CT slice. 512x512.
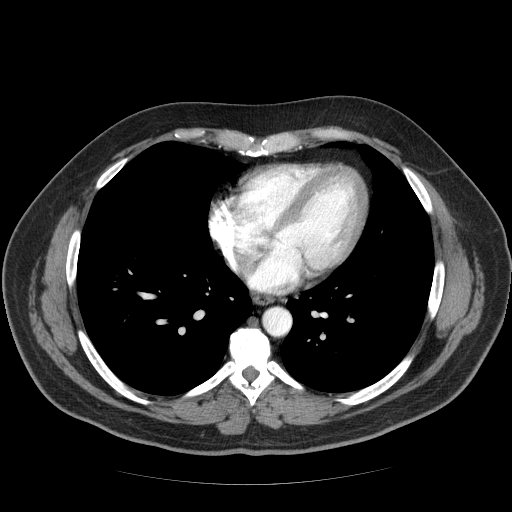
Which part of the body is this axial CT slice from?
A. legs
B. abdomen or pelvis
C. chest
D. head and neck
C. chest
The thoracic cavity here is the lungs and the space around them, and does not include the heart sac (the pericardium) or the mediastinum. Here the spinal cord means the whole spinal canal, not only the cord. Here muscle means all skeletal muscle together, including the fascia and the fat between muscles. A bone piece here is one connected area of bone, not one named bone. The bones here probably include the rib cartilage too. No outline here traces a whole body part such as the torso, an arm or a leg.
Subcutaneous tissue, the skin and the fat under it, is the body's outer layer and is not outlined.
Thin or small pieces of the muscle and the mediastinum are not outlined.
{"muscle":[[[324,125],[374,136],[399,150],[441,195],[467,233],[480,264],[485,288],[480,320],[442,367],[423,384],[373,409],[345,418],[277,429],[252,421],[243,433],[227,435],[208,425],[163,421],[106,403],[69,378],[38,344],[28,315],[32,269],[62,214],[105,160],[136,142],[177,128],[228,128],[213,133],[210,137],[213,146],[182,141],[202,139],[208,133],[204,128],[176,130],[173,136],[177,140],[160,141],[131,159],[126,155],[116,160],[95,182],[96,193],[82,229],[76,227],[72,231],[65,259],[67,287],[76,288],[84,326],[76,334],[87,359],[112,389],[144,406],[154,402],[143,393],[181,394],[180,398],[186,399],[224,382],[240,391],[251,407],[276,381],[301,392],[307,387],[331,394],[348,393],[333,398],[348,406],[371,400],[390,388],[412,363],[416,354],[409,350],[426,314],[433,320],[442,299],[446,271],[444,261],[439,257],[435,260],[429,216],[434,212],[432,199],[411,168],[405,164],[398,168],[371,145],[356,141],[357,137],[347,130],[329,126],[315,128],[308,135],[286,130]]],"mediastinum":[[[324,142],[329,142],[325,145],[328,147],[337,146],[358,150],[370,169],[371,199],[370,190],[359,170],[345,161],[335,159],[263,162],[244,171],[212,199],[223,178],[239,173],[246,165],[207,146],[235,151],[242,156],[259,157],[299,151],[304,147]],[[249,291],[275,297],[286,297],[291,295],[295,295],[301,292],[297,298],[290,297],[286,302],[286,307],[292,317],[292,325],[289,332],[279,347],[281,365],[273,357],[272,347],[269,338],[259,327],[240,326],[248,318],[252,310],[252,300],[249,296]]],"bones":[{"outer":[[239,327],[259,328],[269,340],[272,357],[294,379],[302,384],[305,390],[298,390],[276,380],[259,394],[254,405],[251,406],[248,398],[240,390],[227,381],[224,381],[199,395],[181,398],[182,394],[208,379],[222,366],[229,355],[228,346],[230,335]],"hole":[[249,366],[251,366],[252,367],[253,367],[257,371],[258,371],[258,375],[252,381],[248,381],[243,376],[243,375],[242,374],[242,373],[243,372],[243,371],[247,367],[248,367]]},[[329,127],[347,131],[354,135],[356,140],[325,142],[308,137],[304,146],[299,150],[280,151],[271,155],[242,155],[235,150],[218,147],[211,141],[214,133],[223,129],[252,135],[260,140],[265,136],[284,131],[298,132],[303,136],[308,136],[315,129]],[[79,328],[85,331],[94,348],[109,369],[125,384],[131,388],[133,388],[142,392],[141,395],[151,400],[153,402],[152,403],[147,405],[144,405],[135,402],[130,399],[128,399],[112,388],[102,378],[94,368],[82,348],[77,334],[77,330]],[[411,351],[413,351],[415,355],[408,368],[397,381],[383,392],[371,399],[369,399],[355,405],[343,404],[334,400],[334,398],[336,397],[339,396],[342,396],[343,397],[346,396],[351,392],[355,392],[377,382],[389,373],[402,360],[408,352]],[[438,258],[441,259],[443,261],[445,274],[444,275],[444,281],[443,282],[443,290],[442,291],[439,306],[434,318],[431,320],[427,315],[427,305],[428,304],[428,299],[429,298],[430,290],[431,289],[432,281],[433,280],[433,273],[434,272],[435,261]],[[76,228],[79,228],[81,231],[81,233],[80,234],[79,250],[78,251],[78,255],[77,256],[77,271],[76,272],[75,285],[70,289],[68,287],[67,279],[66,278],[66,259],[67,258],[67,252],[68,251],[68,246],[69,245],[70,237],[73,231]],[[402,165],[405,165],[411,169],[417,175],[419,179],[422,182],[427,192],[429,194],[431,199],[431,204],[432,205],[432,209],[433,210],[432,214],[429,215],[424,209],[419,199],[417,197],[416,194],[408,182],[406,177],[402,172],[401,170],[401,166]],[[126,156],[129,157],[129,160],[121,168],[121,169],[120,169],[119,170],[119,171],[105,185],[104,185],[97,191],[95,191],[95,190],[94,189],[95,184],[98,180],[98,179],[102,175],[102,174],[111,165],[112,165],[116,161],[117,161]],[[195,129],[204,129],[206,131],[206,132],[207,133],[202,138],[201,138],[200,139],[199,139],[198,138],[196,138],[195,139],[191,139],[190,140],[178,140],[177,139],[176,139],[174,136],[174,133],[176,131],[191,131],[192,130],[194,130]]],"pericardium":[[[308,160],[342,161],[356,168],[363,176],[370,193],[370,203],[367,221],[361,237],[349,257],[325,279],[310,288],[286,296],[275,296],[249,290],[226,264],[212,242],[208,228],[210,204],[218,194],[234,183],[240,175],[254,166],[274,161],[297,162]]],"spinal_cord":[[[249,366],[251,366],[252,367],[253,367],[257,371],[258,371],[258,375],[252,381],[248,381],[243,376],[243,375],[242,374],[242,373],[243,372],[243,371],[247,367],[248,367]]],"thoracic_cavity":[[[164,141],[206,146],[245,165],[239,172],[225,176],[219,182],[210,200],[207,228],[212,247],[247,288],[251,310],[229,335],[228,355],[221,366],[205,380],[176,395],[143,392],[125,383],[110,369],[86,332],[76,287],[81,234],[97,192],[130,160]],[[334,141],[371,146],[401,171],[429,217],[434,255],[426,313],[407,353],[377,381],[341,393],[320,391],[301,383],[282,366],[280,350],[293,325],[288,300],[297,299],[341,266],[358,245],[368,221],[373,196],[371,169],[358,149],[328,146],[327,143]]]}